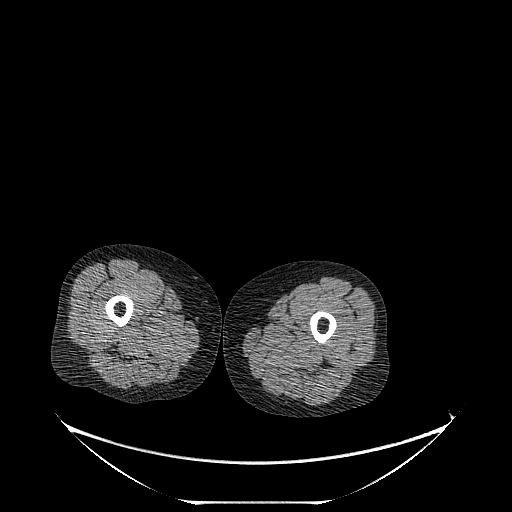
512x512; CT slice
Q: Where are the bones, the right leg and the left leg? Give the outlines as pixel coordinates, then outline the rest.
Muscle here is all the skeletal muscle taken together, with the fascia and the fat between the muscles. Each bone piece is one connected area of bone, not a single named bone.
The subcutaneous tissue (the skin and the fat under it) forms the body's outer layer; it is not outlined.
A: {"bones":[[[117,294],[128,295],[133,301],[133,305],[135,309],[133,311],[132,315],[129,319],[128,322],[123,326],[118,326],[111,320],[110,321],[105,315],[105,313],[104,312],[105,311],[104,310],[104,305],[105,304],[105,302],[111,296],[113,295],[116,295]],[[318,310],[324,310],[325,311],[327,311],[331,313],[335,317],[336,319],[336,321],[337,322],[337,326],[334,332],[334,334],[332,336],[331,336],[324,344],[321,344],[319,343],[314,338],[311,332],[310,327],[309,326],[309,319],[311,315]]],"right_leg":[[[121,243],[149,246],[176,256],[201,275],[217,296],[222,314],[222,343],[220,341],[218,344],[215,361],[207,377],[199,386],[183,396],[127,403],[89,387],[71,385],[62,380],[52,368],[50,345],[58,297],[65,275],[72,265],[87,252],[100,246]]],"left_leg":[[[300,260],[328,260],[351,266],[366,275],[377,287],[383,298],[387,314],[386,338],[390,361],[389,375],[380,393],[364,405],[319,417],[278,415],[258,409],[245,401],[233,387],[229,379],[223,356],[223,316],[232,296],[242,285],[262,272],[285,263]]],"muscle":[{"outer":[[313,275],[334,275],[348,280],[354,285],[361,286],[368,292],[375,304],[376,353],[373,364],[363,380],[341,398],[318,409],[290,409],[279,405],[259,390],[252,380],[244,359],[243,339],[244,334],[257,321],[265,309],[281,295],[288,293]],"hole":[[318,310],[324,310],[325,311],[327,311],[331,313],[335,317],[336,319],[336,321],[337,322],[337,326],[334,332],[334,334],[332,336],[331,336],[324,344],[321,344],[319,343],[314,338],[311,332],[310,327],[309,326],[309,319],[311,315]]},{"outer":[[111,258],[133,259],[156,271],[180,297],[183,307],[189,311],[199,330],[199,346],[193,362],[171,386],[160,392],[135,393],[109,386],[82,366],[80,359],[72,351],[66,338],[66,325],[69,309],[67,300],[74,279],[87,265],[97,261],[107,261]],"hole":[[117,294],[128,295],[133,301],[133,305],[135,309],[133,311],[132,315],[129,319],[128,322],[123,326],[118,326],[111,320],[110,321],[105,315],[105,313],[104,312],[105,311],[104,310],[104,305],[105,304],[105,302],[111,296],[113,295],[116,295]]}]}